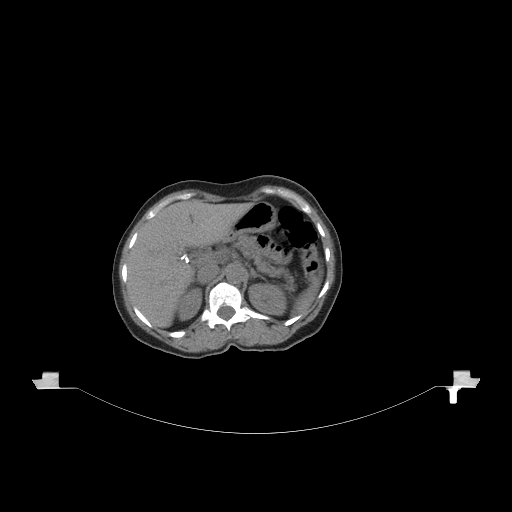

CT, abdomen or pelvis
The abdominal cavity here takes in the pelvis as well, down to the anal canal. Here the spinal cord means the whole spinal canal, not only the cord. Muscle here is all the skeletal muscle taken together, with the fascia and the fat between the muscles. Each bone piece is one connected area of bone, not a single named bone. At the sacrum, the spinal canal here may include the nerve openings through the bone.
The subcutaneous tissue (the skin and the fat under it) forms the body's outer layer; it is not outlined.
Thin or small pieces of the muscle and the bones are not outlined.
{"bones":[{"outer":[[222,281],[232,284],[239,289],[243,296],[244,305],[248,306],[256,312],[269,316],[270,319],[260,319],[251,317],[243,322],[234,323],[229,330],[223,324],[216,324],[211,328],[206,321],[201,321],[200,315],[203,310],[208,307],[208,296],[211,288]],"hole":[[222,306],[229,306],[230,307],[231,307],[234,310],[234,313],[228,319],[224,319],[223,318],[222,318],[220,316],[219,316],[218,315],[218,314],[217,313],[217,312],[218,311],[218,310]]},[[265,188],[271,188],[272,189],[280,188],[284,190],[288,190],[294,193],[303,201],[309,205],[311,209],[311,212],[309,214],[304,212],[299,207],[298,204],[292,199],[287,199],[283,197],[280,197],[277,195],[265,193],[263,191],[263,189]],[[183,193],[193,193],[194,194],[193,196],[187,199],[179,199],[178,200],[172,201],[160,209],[153,217],[149,219],[146,219],[146,215],[148,212],[150,210],[153,209],[160,202],[164,200],[166,200],[168,198],[170,198],[176,195],[179,195]],[[134,305],[135,306],[136,306],[138,308],[138,309],[143,314],[143,315],[151,323],[151,324],[152,325],[152,327],[150,327],[149,326],[148,326],[146,324],[145,324],[136,315],[136,314],[135,313],[135,312],[134,311],[134,310],[133,309],[133,306]],[[177,330],[184,330],[185,331],[185,334],[183,336],[182,336],[181,337],[172,337],[171,336],[170,336],[168,334],[168,333],[170,331],[176,331]],[[124,263],[126,263],[127,264],[127,280],[126,281],[126,282],[124,282],[122,280],[122,276],[121,275],[121,270],[122,269],[122,266],[123,265],[123,264]],[[325,280],[327,280],[329,282],[329,286],[328,287],[327,290],[323,294],[323,295],[322,296],[321,296],[320,297],[317,297],[317,296],[318,295],[318,294],[319,293],[320,290],[322,288],[322,286],[323,285],[323,284],[324,283]],[[299,314],[301,314],[301,317],[300,318],[299,318],[297,320],[296,320],[294,322],[293,322],[291,324],[290,324],[289,325],[285,325],[284,324],[284,321],[285,321],[286,320],[287,320],[288,319],[289,319],[290,318],[291,318],[296,315],[298,315]],[[135,232],[137,232],[138,233],[138,235],[137,236],[137,238],[136,239],[136,240],[135,241],[135,242],[134,243],[133,246],[131,248],[129,248],[129,247],[128,246],[129,245],[129,243],[130,242],[130,240],[131,239],[132,236],[134,234],[134,233]],[[318,222],[320,224],[320,225],[321,226],[321,227],[322,228],[322,229],[324,232],[324,234],[325,235],[323,237],[322,237],[320,235],[320,234],[318,232],[318,231],[316,228],[316,226],[315,225],[315,224]]],"torso":[[[262,174],[284,176],[307,188],[315,196],[338,234],[342,251],[342,282],[321,329],[281,351],[243,351],[232,345],[220,354],[203,358],[180,357],[150,347],[134,338],[115,307],[111,273],[118,242],[141,205],[160,188],[180,180],[199,179],[225,183]]],"muscle":[{"outer":[[265,185],[276,185],[277,186],[282,186],[283,187],[288,188],[300,195],[316,209],[317,213],[324,222],[330,233],[330,236],[333,241],[333,244],[334,245],[334,256],[335,257],[335,270],[334,272],[335,273],[335,278],[334,279],[334,282],[331,288],[329,290],[328,294],[324,300],[324,302],[317,315],[311,321],[300,327],[289,338],[282,342],[280,342],[276,344],[263,344],[262,345],[255,344],[254,345],[243,345],[235,340],[229,340],[221,347],[217,349],[209,349],[208,350],[201,351],[200,352],[187,352],[186,351],[183,351],[177,348],[175,348],[165,343],[163,341],[156,338],[154,336],[149,334],[138,326],[130,317],[125,307],[123,296],[121,292],[120,283],[119,282],[118,269],[119,268],[119,262],[120,261],[120,258],[122,253],[122,249],[125,243],[125,241],[130,232],[132,230],[133,227],[141,218],[145,212],[151,206],[152,206],[164,196],[172,192],[179,191],[183,189],[198,189],[208,193],[211,193],[212,194],[215,194],[220,196],[239,196],[240,195],[246,195],[252,192],[254,190]],"hole":[[265,188],[280,188],[294,193],[309,205],[311,212],[308,215],[311,220],[320,224],[325,235],[321,238],[322,246],[329,249],[324,278],[329,282],[329,286],[323,295],[316,295],[311,304],[301,312],[301,317],[289,325],[285,325],[283,319],[251,317],[234,323],[228,330],[223,324],[216,324],[211,328],[206,321],[201,321],[199,316],[182,329],[185,331],[183,336],[172,337],[168,330],[145,324],[133,309],[134,302],[128,291],[128,283],[122,280],[121,270],[123,264],[128,263],[132,249],[128,246],[130,240],[135,232],[139,235],[142,231],[148,221],[148,212],[160,202],[183,193],[193,193],[192,198],[201,198],[208,202],[248,201],[266,196],[268,194],[263,191]]}],"spinal_cord":[[[222,306],[229,306],[230,307],[231,307],[234,310],[234,313],[228,319],[224,319],[223,318],[222,318],[220,316],[219,316],[218,315],[218,314],[217,313],[217,312],[218,311],[218,310]]],"abdominal_cavity":[[[267,195],[286,199],[297,206],[309,216],[321,237],[325,277],[311,304],[301,313],[285,320],[277,319],[251,308],[236,285],[222,280],[210,288],[205,307],[186,327],[169,331],[153,325],[134,304],[127,282],[130,252],[148,220],[179,200],[248,201]]]}